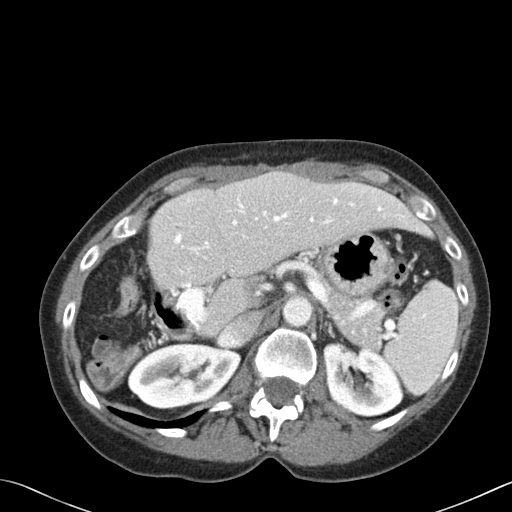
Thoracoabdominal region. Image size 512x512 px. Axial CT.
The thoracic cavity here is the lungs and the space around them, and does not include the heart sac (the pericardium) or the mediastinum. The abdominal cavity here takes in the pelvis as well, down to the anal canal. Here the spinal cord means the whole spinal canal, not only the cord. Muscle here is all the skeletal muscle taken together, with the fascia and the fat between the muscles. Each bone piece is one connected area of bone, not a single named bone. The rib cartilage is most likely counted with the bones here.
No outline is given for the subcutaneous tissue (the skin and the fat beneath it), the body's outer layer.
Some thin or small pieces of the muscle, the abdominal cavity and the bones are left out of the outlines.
The spinal cord is outlined by [[275,377],[285,377],[297,383],[298,389],[297,390],[297,392],[293,396],[293,398],[292,399],[292,403],[290,404],[285,404],[280,407],[275,407],[266,398],[266,395],[265,394],[265,390],[264,389],[264,383],[266,381],[266,379],[267,378],[274,378]]. The muscle is outlined by [[308,158],[313,158],[318,161],[340,161],[344,162],[354,160],[363,162],[371,162],[383,165],[391,169],[426,193],[435,202],[443,214],[449,226],[463,245],[470,261],[470,270],[472,274],[473,283],[476,292],[476,308],[474,311],[474,315],[471,322],[472,331],[470,334],[463,357],[458,367],[455,379],[447,391],[432,407],[425,413],[422,414],[419,419],[415,420],[411,424],[400,430],[395,435],[368,455],[348,463],[323,465],[322,466],[307,466],[306,467],[297,466],[284,459],[279,453],[275,451],[264,451],[253,459],[240,463],[210,462],[203,460],[188,459],[176,455],[162,453],[152,450],[145,447],[138,442],[112,430],[100,422],[80,404],[71,389],[71,386],[64,369],[61,343],[60,342],[60,335],[55,320],[56,304],[61,291],[62,284],[73,261],[83,246],[98,230],[109,220],[124,209],[148,186],[164,175],[175,170],[188,167],[194,164],[204,164],[205,165],[224,164],[226,165],[227,164],[249,164],[250,163],[255,164],[258,162],[263,162],[269,165],[276,165],[284,162],[293,162]], around holes outlined by [[268,170],[367,182],[405,204],[433,228],[440,243],[447,235],[457,243],[459,260],[442,248],[453,282],[462,282],[468,294],[468,304],[459,303],[454,347],[458,357],[449,376],[438,379],[408,405],[397,422],[373,430],[371,425],[379,419],[358,417],[328,398],[321,362],[302,388],[304,410],[297,418],[285,420],[272,442],[268,419],[248,413],[258,388],[254,347],[215,399],[231,400],[233,406],[205,412],[184,428],[183,437],[165,436],[128,421],[99,399],[101,409],[87,402],[78,383],[84,375],[74,327],[82,289],[94,266],[79,269],[88,249],[100,244],[101,256],[125,239],[110,237],[120,219],[139,210],[144,217],[159,200],[174,193],[195,184],[220,184]] and by [[412,194],[416,194],[417,195],[426,199],[433,206],[433,207],[436,211],[436,216],[434,219],[433,219],[432,220],[425,220],[421,217],[420,217],[417,215],[417,214],[416,213],[412,204],[409,201],[409,197],[410,196],[410,195],[411,195]] and by [[70,300],[74,300],[75,301],[75,312],[74,313],[74,316],[73,317],[73,320],[72,321],[72,323],[71,325],[67,329],[65,330],[63,329],[63,326],[62,325],[62,319],[63,318],[63,312],[64,311],[64,309],[67,303]] and by [[363,170],[379,170],[380,171],[385,172],[387,174],[388,174],[389,175],[389,180],[386,182],[381,182],[380,181],[379,181],[378,180],[376,180],[373,178],[371,178],[370,177],[368,177],[367,176],[362,175],[361,174],[360,174],[360,172]] and by [[183,178],[196,178],[195,179],[194,179],[186,185],[185,185],[176,190],[174,190],[173,191],[170,191],[169,192],[168,191],[164,191],[164,189],[165,188],[165,187],[168,184],[170,184],[174,181],[176,181],[179,179],[182,179]]. The bones appear in 11 outlined pieces: piece 1: [[280,327],[302,331],[311,339],[316,352],[317,365],[314,375],[302,388],[304,410],[297,418],[285,420],[280,426],[277,437],[271,442],[268,433],[268,419],[262,415],[251,416],[248,413],[248,404],[258,388],[258,374],[252,364],[253,358],[261,342]] with a hole at [[275,377],[285,377],[297,383],[298,389],[297,390],[297,392],[293,396],[293,398],[292,399],[292,403],[290,404],[285,404],[280,407],[275,407],[266,398],[266,395],[265,394],[265,390],[264,389],[264,383],[266,381],[266,379],[267,378],[274,378]]; piece 2: [[139,210],[140,210],[140,211],[142,213],[143,217],[141,221],[141,225],[136,233],[135,233],[133,235],[131,235],[125,238],[116,238],[114,239],[110,237],[110,233],[111,232],[112,228],[114,226],[114,225],[120,219],[121,219],[124,216],[132,214]]; piece 3: [[412,194],[416,194],[417,195],[426,199],[433,206],[433,207],[436,211],[436,216],[434,219],[433,219],[432,220],[425,220],[421,217],[420,217],[417,215],[417,214],[416,213],[412,204],[409,201],[409,197],[410,196],[410,195],[411,195]]; piece 4: [[80,376],[83,376],[84,377],[87,383],[95,394],[98,401],[100,403],[102,407],[101,409],[98,409],[91,404],[90,404],[88,402],[87,402],[82,395],[81,393],[81,391],[80,390],[80,388],[79,387],[79,384],[78,383],[78,379]]; piece 5: [[95,244],[100,244],[101,245],[100,247],[100,255],[97,258],[97,259],[94,262],[94,263],[89,268],[83,271],[81,271],[79,269],[79,264],[80,263],[80,261],[81,259],[83,257],[85,253],[88,250],[88,249],[90,247],[91,247]]; piece 6: [[407,407],[408,409],[406,413],[397,422],[396,422],[394,424],[384,429],[382,429],[381,430],[373,430],[370,428],[371,425],[372,425],[374,423],[386,417],[388,417],[400,411],[402,409],[404,408],[406,408]]; piece 7: [[447,235],[450,236],[457,243],[457,244],[458,245],[458,246],[461,251],[461,259],[460,259],[459,260],[457,260],[456,259],[453,258],[446,251],[446,250],[445,249],[444,249],[444,248],[441,243],[441,241],[442,241],[444,239],[444,238]]; piece 8: [[70,300],[74,300],[75,301],[75,312],[74,313],[74,316],[73,317],[73,320],[72,321],[72,323],[71,325],[67,329],[65,330],[63,329],[63,326],[62,325],[62,319],[63,318],[63,312],[64,311],[64,309],[67,303]]; piece 9: [[454,349],[457,349],[458,350],[458,357],[457,358],[457,362],[456,363],[456,365],[454,369],[452,371],[452,372],[449,375],[449,376],[445,380],[443,381],[441,381],[440,379],[440,376],[442,374],[442,372],[452,352],[454,350]]; piece 10: [[155,427],[161,427],[162,428],[169,428],[170,427],[178,427],[179,428],[184,428],[186,430],[186,431],[187,432],[186,433],[186,434],[183,437],[169,437],[168,436],[165,436],[164,435],[157,432],[155,430],[154,430],[153,429],[153,428],[154,428]]; piece 11: [[183,178],[196,178],[195,179],[194,179],[186,185],[185,185],[176,190],[174,190],[173,191],[170,191],[169,192],[168,191],[164,191],[164,189],[165,188],[165,187],[168,184],[170,184],[174,181],[176,181],[179,179],[182,179]]. The torso is outlined by [[287,138],[379,143],[410,157],[442,189],[471,233],[489,283],[489,333],[475,383],[430,447],[372,477],[344,482],[306,481],[291,475],[272,458],[242,476],[219,482],[132,473],[95,451],[55,397],[38,323],[47,277],[89,217],[152,161],[193,145]]. The abdominal cavity is outlined by [[268,170],[367,182],[433,228],[460,302],[457,339],[439,379],[406,407],[381,419],[361,418],[328,398],[312,339],[280,326],[247,353],[220,400],[201,416],[158,421],[108,407],[82,372],[74,332],[95,262],[136,234],[159,200],[195,184]]. The thoracic cavity is outlined by [[109,407],[114,408],[122,412],[135,414],[138,416],[141,416],[144,418],[147,418],[150,420],[154,420],[158,422],[171,422],[186,418],[197,413],[201,414],[196,421],[185,427],[179,427],[178,426],[145,427],[120,417],[112,412],[108,408]].